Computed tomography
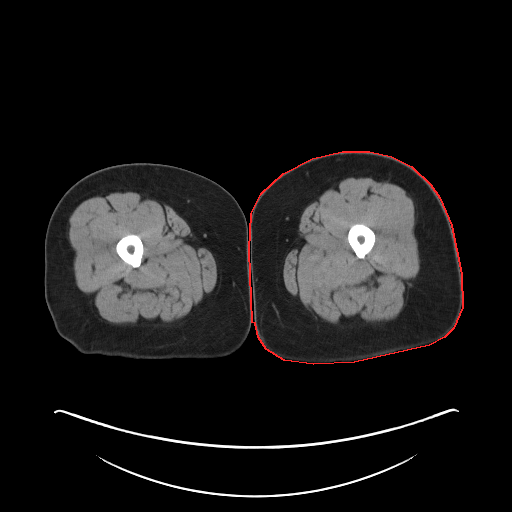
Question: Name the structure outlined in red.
Answer: red: left leg.
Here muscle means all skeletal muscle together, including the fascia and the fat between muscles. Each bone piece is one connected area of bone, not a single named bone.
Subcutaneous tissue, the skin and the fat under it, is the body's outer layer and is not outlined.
Outlined structures:
left leg: [[342,151],[369,151],[391,156],[411,166],[430,184],[439,197],[451,225],[461,274],[462,307],[453,328],[444,337],[429,345],[354,362],[313,364],[284,360],[266,349],[258,337],[255,323],[252,322],[249,250],[251,213],[261,193],[283,173],[312,158]]
right leg: [[134,162],[173,165],[203,175],[225,188],[235,198],[243,210],[248,225],[251,325],[243,344],[230,355],[205,359],[132,359],[99,354],[84,354],[62,338],[55,329],[44,296],[44,240],[52,211],[63,194],[76,181],[87,174],[104,167]]
bones 1: [[355,223],[363,223],[365,224],[367,226],[368,226],[374,232],[375,234],[375,242],[374,243],[374,245],[372,249],[364,257],[364,258],[358,258],[357,257],[347,240],[347,234],[350,228],[350,226],[352,224],[354,224]]
bones 2: [[129,233],[131,234],[137,234],[139,235],[142,241],[142,243],[143,244],[143,247],[144,248],[144,250],[143,251],[143,255],[142,256],[142,261],[140,265],[136,268],[132,267],[129,264],[124,262],[116,252],[116,249],[115,248],[117,242],[123,236]]
muscle 1: [[347,177],[383,178],[396,182],[410,193],[414,203],[414,234],[418,244],[420,269],[412,282],[413,286],[410,289],[409,297],[399,315],[374,330],[338,327],[315,319],[285,289],[282,280],[282,260],[296,237],[300,216],[304,208],[316,200],[325,190]]; inner edge: [[355,223],[363,223],[365,224],[367,226],[368,226],[374,232],[375,234],[375,242],[374,243],[374,245],[372,249],[364,257],[364,258],[358,258],[357,257],[347,240],[347,234],[350,228],[350,226],[352,224],[354,224]]
muscle 2: [[114,190],[133,191],[166,203],[187,222],[194,236],[212,253],[220,271],[220,285],[215,296],[200,311],[175,325],[155,329],[116,326],[99,318],[89,309],[87,296],[75,283],[73,270],[75,252],[67,236],[69,217],[82,201],[98,193],[108,193]]; inner edge: [[129,233],[131,234],[137,234],[139,235],[142,241],[142,243],[143,244],[143,247],[144,248],[144,250],[143,251],[143,255],[142,256],[142,261],[140,265],[136,268],[132,267],[129,264],[124,262],[116,252],[116,249],[115,248],[117,242],[123,236]]